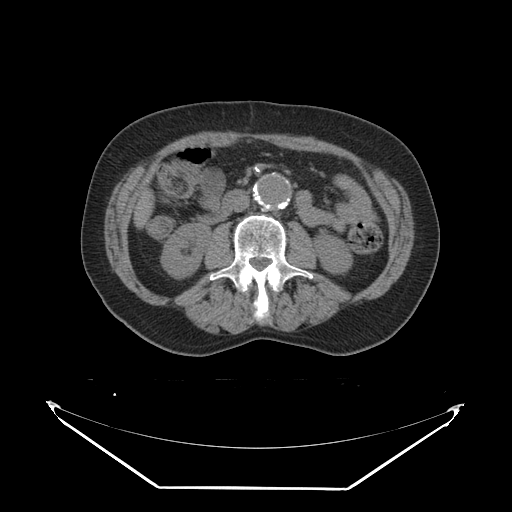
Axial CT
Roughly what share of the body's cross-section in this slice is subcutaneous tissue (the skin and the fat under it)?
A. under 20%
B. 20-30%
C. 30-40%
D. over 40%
C. 30-40%
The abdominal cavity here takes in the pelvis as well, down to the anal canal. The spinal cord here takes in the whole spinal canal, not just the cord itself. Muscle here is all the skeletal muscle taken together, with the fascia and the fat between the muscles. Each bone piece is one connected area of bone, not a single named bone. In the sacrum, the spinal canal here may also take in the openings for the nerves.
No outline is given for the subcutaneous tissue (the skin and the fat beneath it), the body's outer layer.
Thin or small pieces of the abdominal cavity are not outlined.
{"spinal_cord":[[[256,257],[259,257],[260,258],[267,258],[268,259],[270,259],[271,260],[271,262],[268,265],[267,265],[261,270],[258,270],[257,269],[256,269],[253,266],[252,266],[252,265],[249,261],[250,260],[250,259],[251,259],[252,258],[255,258]]],"bones":[{"outer":[[260,214],[282,224],[287,262],[311,272],[313,277],[293,276],[278,292],[267,284],[269,316],[258,321],[253,315],[256,309],[253,302],[258,294],[254,281],[243,292],[237,290],[229,278],[210,280],[209,275],[233,261],[233,235],[238,222],[246,216]],"hole":[[256,257],[259,257],[260,258],[267,258],[268,259],[270,259],[271,260],[271,262],[268,265],[267,265],[261,270],[258,270],[257,269],[256,269],[253,266],[252,266],[252,265],[249,261],[250,260],[250,259],[251,259],[252,258],[255,258]]}],"muscle":[{"outer":[[201,131],[220,131],[221,132],[224,132],[225,131],[233,131],[234,132],[240,132],[241,133],[286,133],[292,135],[314,136],[323,140],[325,140],[328,142],[338,145],[361,157],[370,163],[392,174],[402,183],[403,186],[407,190],[409,196],[409,199],[410,200],[411,209],[413,214],[413,221],[414,222],[414,241],[411,249],[411,253],[407,262],[407,264],[399,280],[382,297],[380,297],[377,299],[375,299],[372,301],[363,304],[359,304],[358,305],[351,306],[336,314],[321,326],[318,326],[307,330],[295,331],[294,332],[287,332],[286,333],[274,329],[271,329],[265,326],[253,325],[246,331],[239,334],[234,334],[228,336],[226,335],[215,335],[206,332],[198,328],[184,315],[176,309],[170,309],[169,308],[158,307],[151,304],[148,304],[142,302],[138,299],[123,285],[119,278],[112,270],[111,265],[108,260],[106,254],[105,240],[104,239],[104,218],[105,217],[105,211],[106,210],[106,207],[109,198],[111,195],[112,190],[116,183],[121,177],[138,161],[177,139],[179,139],[187,135],[195,134]],"hole":[[255,140],[359,170],[388,231],[369,285],[353,293],[315,271],[296,220],[285,258],[313,277],[278,292],[267,284],[260,321],[254,281],[243,292],[209,279],[234,259],[230,222],[211,231],[208,271],[191,286],[168,296],[138,278],[129,226],[162,160]]}],"torso":[[[246,99],[309,104],[353,114],[393,133],[417,159],[438,217],[439,256],[431,282],[414,313],[385,342],[345,356],[268,339],[207,356],[180,355],[134,333],[108,311],[92,286],[82,263],[80,230],[91,176],[108,142],[132,121],[160,109],[200,101]]],"abdominal_cavity":[[[255,140],[335,155],[359,170],[388,231],[386,263],[369,285],[353,293],[315,271],[308,232],[296,220],[285,229],[264,213],[244,216],[233,234],[230,222],[217,225],[204,252],[208,271],[176,295],[156,293],[138,278],[129,226],[162,160],[187,146]]]}